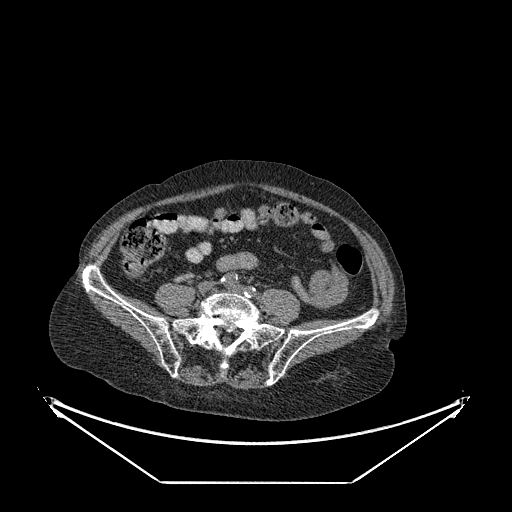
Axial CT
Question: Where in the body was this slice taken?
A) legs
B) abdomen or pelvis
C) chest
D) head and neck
Answer: B) abdomen or pelvis
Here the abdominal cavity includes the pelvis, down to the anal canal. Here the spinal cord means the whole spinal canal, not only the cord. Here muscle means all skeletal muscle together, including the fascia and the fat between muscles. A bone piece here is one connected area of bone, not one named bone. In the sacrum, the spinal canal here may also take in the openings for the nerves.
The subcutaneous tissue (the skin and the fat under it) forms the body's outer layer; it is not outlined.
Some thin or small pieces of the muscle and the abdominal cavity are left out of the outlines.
{"torso":[[[227,158],[282,162],[327,179],[352,195],[383,230],[402,271],[407,323],[402,337],[390,344],[394,371],[377,394],[315,417],[259,421],[177,409],[126,393],[64,364],[55,355],[48,337],[50,310],[76,268],[81,242],[91,226],[143,185]]],"muscle":[[[240,181],[252,181],[275,185],[302,194],[329,206],[365,230],[377,242],[384,253],[393,275],[393,306],[392,312],[387,321],[373,329],[366,331],[352,343],[306,359],[296,366],[296,372],[292,373],[288,377],[281,379],[285,375],[291,361],[309,343],[324,335],[330,335],[333,333],[349,331],[353,329],[366,330],[377,321],[380,315],[380,310],[376,306],[372,305],[372,279],[364,248],[352,230],[343,221],[336,216],[309,204],[260,187],[250,185],[236,186],[221,192],[190,200],[154,206],[136,215],[119,231],[118,236],[101,267],[95,262],[88,262],[82,268],[80,276],[84,290],[78,282],[78,272],[84,256],[97,235],[118,217],[137,207],[167,197],[214,185]],[[172,332],[182,335],[191,345],[219,353],[222,356],[218,365],[222,377],[230,367],[228,359],[238,352],[259,351],[281,340],[267,364],[268,376],[264,381],[267,387],[238,389],[225,383],[196,386],[178,381],[175,379],[179,377],[182,357],[176,347]],[[167,283],[192,287],[196,291],[196,296],[194,300],[187,305],[188,313],[190,316],[187,317],[175,316],[170,322],[164,316],[154,315],[137,307],[123,298],[116,291],[125,296],[141,300],[161,313],[163,313],[164,311],[155,301],[155,294],[160,286]],[[271,288],[287,290],[291,292],[299,302],[299,313],[297,317],[288,324],[290,327],[302,322],[312,320],[345,319],[315,328],[301,329],[291,327],[287,330],[284,327],[278,325],[279,324],[278,317],[265,312],[259,304],[259,298],[261,294],[265,290]],[[89,292],[93,292],[121,307],[124,310],[128,312],[143,327],[154,343],[155,347],[158,352],[160,365],[161,367],[165,370],[155,364],[146,350],[142,347],[136,340],[123,331],[118,326],[112,324],[94,307],[94,305],[89,300],[87,296],[86,293]]],"abdominal_cavity":[[[241,186],[343,222],[363,248],[371,306],[348,318],[290,326],[300,302],[291,291],[271,287],[258,304],[278,318],[274,325],[258,320],[261,312],[245,291],[214,291],[191,316],[192,286],[160,285],[154,301],[163,312],[114,289],[101,268],[132,219]]],"spinal_cord":[[[217,325],[223,325],[224,326],[235,326],[238,328],[240,328],[242,329],[242,330],[241,332],[240,332],[237,335],[236,338],[231,343],[230,343],[228,345],[224,345],[222,343],[219,336],[216,333],[216,331],[214,328],[214,326],[216,326]]],"bones":[{"outer":[[88,263],[123,299],[169,323],[197,317],[201,301],[219,291],[245,292],[260,323],[287,331],[372,306],[379,315],[366,329],[315,338],[270,386],[268,364],[281,339],[238,351],[222,376],[219,352],[172,331],[181,357],[172,378],[144,327],[85,291]],"hole":[[217,325],[223,325],[224,326],[235,326],[238,328],[240,328],[242,329],[242,330],[241,332],[240,332],[237,335],[236,338],[231,343],[230,343],[228,345],[224,345],[222,343],[219,336],[216,333],[216,331],[214,328],[214,326],[216,326]]}]}